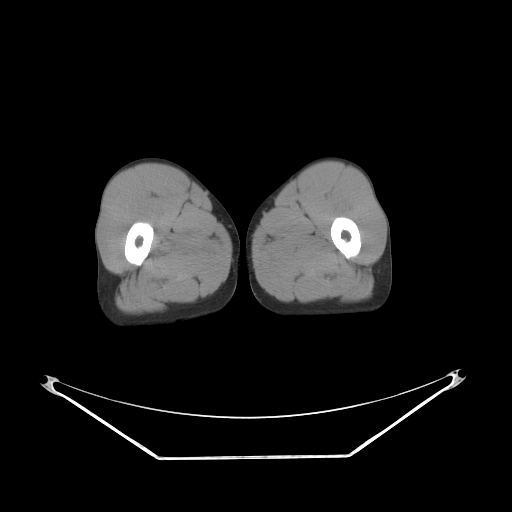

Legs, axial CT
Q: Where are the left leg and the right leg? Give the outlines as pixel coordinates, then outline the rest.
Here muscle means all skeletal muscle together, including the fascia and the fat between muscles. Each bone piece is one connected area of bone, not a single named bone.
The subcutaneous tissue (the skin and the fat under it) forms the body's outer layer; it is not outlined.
A: Outlined structures:
left leg: [[325,155],[341,156],[356,162],[367,172],[372,180],[376,195],[388,217],[390,225],[392,256],[392,286],[390,295],[381,309],[372,313],[330,316],[280,316],[263,307],[256,300],[251,291],[248,278],[243,269],[247,226],[257,206],[278,185],[306,162]]
right leg: [[146,156],[167,158],[187,168],[223,204],[232,217],[238,231],[242,269],[230,301],[220,311],[209,317],[179,322],[173,325],[116,327],[109,323],[103,316],[97,301],[97,260],[94,245],[94,226],[98,214],[102,190],[108,178],[125,163]]
muscle 1: [[142,162],[160,162],[172,165],[182,170],[206,192],[231,238],[232,262],[226,280],[213,294],[204,300],[170,310],[134,315],[121,312],[115,305],[114,293],[116,281],[115,277],[105,268],[102,262],[96,239],[96,229],[105,194],[113,178],[122,170]] with a hole at [[136,221],[145,221],[146,222],[148,222],[151,224],[153,228],[153,239],[152,240],[150,250],[147,256],[143,260],[142,263],[138,266],[132,263],[130,263],[126,259],[124,255],[124,243],[125,242],[125,238],[126,237],[127,231],[129,229],[130,226]]
muscle 2: [[323,160],[338,160],[360,170],[366,177],[373,197],[386,221],[388,235],[385,249],[379,260],[373,266],[373,293],[369,299],[353,303],[341,303],[337,300],[307,304],[282,302],[266,292],[255,277],[251,259],[252,234],[261,211],[274,195],[305,168]]; inner edge: [[337,216],[345,216],[346,217],[350,218],[356,223],[358,227],[358,229],[360,233],[361,246],[360,247],[359,252],[355,256],[353,257],[347,258],[334,245],[331,239],[331,236],[330,235],[330,227],[331,226],[331,224],[332,223],[333,219]]
bones 1: [[136,221],[145,221],[146,222],[148,222],[151,224],[153,228],[153,239],[152,240],[150,250],[147,256],[143,260],[142,263],[138,266],[132,263],[130,263],[126,259],[124,255],[124,243],[125,242],[125,238],[126,237],[127,231],[129,229],[130,226]]
bones 2: [[337,216],[345,216],[346,217],[350,218],[356,223],[358,227],[358,229],[360,233],[361,246],[360,247],[359,252],[355,256],[353,257],[347,258],[334,245],[331,239],[331,236],[330,235],[330,227],[331,226],[331,224],[332,223],[333,219]]